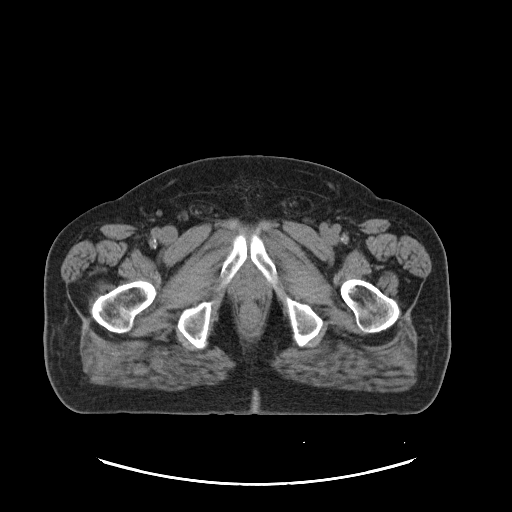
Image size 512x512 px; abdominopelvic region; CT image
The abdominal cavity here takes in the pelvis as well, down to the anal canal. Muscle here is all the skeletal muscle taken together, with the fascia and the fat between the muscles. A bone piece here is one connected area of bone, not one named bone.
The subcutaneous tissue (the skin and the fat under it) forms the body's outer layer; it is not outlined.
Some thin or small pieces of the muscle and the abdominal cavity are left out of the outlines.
The bones appear in 5 outlined pieces: piece 1: 136,280 144,280 150,282 154,286 156,290 156,295 153,301 146,308 142,310 135,316 133,320 133,325 131,329 127,332 116,333 109,331 96,322 91,314 91,307 97,297 100,295 105,294 115,288 118,285; piece 2: 351,278 357,278 368,281 377,287 385,295 395,300 399,307 400,314 396,321 391,326 384,330 374,333 365,333 358,327 356,323 356,320 353,311 346,304 340,294 340,286 341,284 347,279 350,279; piece 3: 241,233 245,236 246,242 248,244 253,233 256,233 262,240 268,255 275,264 278,276 278,293 274,290 271,284 267,281 249,256 246,258 227,285 225,287 219,287 220,271 223,261 232,249 233,239 235,236; piece 4: 285,295 296,301 308,304 323,320 323,324 319,332 317,335 309,342 310,345 306,345 303,347 300,347 293,338 293,332 292,331 292,328 291,327 291,324 288,315 288,310 287,309 287,306 284,302 284,296; piece 5: 202,301 213,301 213,303 211,306 210,320 209,321 208,332 207,333 207,337 206,338 206,345 203,348 195,348 178,330 177,328 177,322 178,321 178,319 179,318 180,314 184,309 188,308 189,307 195,306. The muscle is outlined by 219,218 295,221 338,250 350,246 357,225 369,218 385,218 422,238 432,269 411,310 421,352 416,383 405,391 377,392 280,377 269,361 290,343 290,328 275,299 262,337 250,351 237,338 232,303 227,299 222,305 214,341 236,363 226,381 176,391 89,383 78,357 79,321 60,276 78,234 88,224 126,222 136,228 144,249 158,252 190,227; inner edges: 241,233 245,236 248,244 253,233 259,236 268,255 275,264 278,276 278,293 269,282 266,282 265,304 259,324 251,335 244,331 238,318 233,297 234,278 225,287 219,287 220,271 223,261 232,249 233,239, then 136,280 144,280 150,282 154,286 156,290 156,295 153,301 146,308 142,310 135,316 133,320 133,325 131,329 127,332 116,333 109,331 96,322 91,314 91,307 97,297 100,295 105,294 115,288 118,285, then 351,278 357,278 368,281 377,287 385,295 395,300 399,307 400,314 396,321 391,326 384,330 374,333 365,333 358,327 356,323 356,320 353,311 346,304 340,294 340,286 341,284 347,279 350,279, then 285,295 296,301 308,304 323,320 323,324 319,332 317,335 309,342 310,345 306,345 303,347 300,347 293,338 293,332 292,331 292,328 291,327 291,324 288,315 288,310 287,309 287,306 284,302 284,296, then 202,301 213,301 213,303 211,306 210,320 209,321 208,332 207,333 207,337 206,338 206,345 203,348 195,348 178,330 177,328 177,322 178,321 178,319 179,318 180,314 184,309 188,308 189,307 195,306. The abdominal cavity is outlined by 249,265 250,266 253,266 254,265 266,280 265,304 263,308 263,311 260,318 259,324 251,335 244,331 240,323 240,321 238,318 236,306 234,303 234,298 233,297 233,282 234,281 234,276 242,266 248,266. The torso is outlined by 236,154 287,156 329,166 359,181 379,197 408,206 434,227 447,257 451,351 440,389 427,408 414,414 384,415 86,414 75,412 60,401 49,382 43,354 44,269 57,234 91,207 119,197 168,168 200,158.